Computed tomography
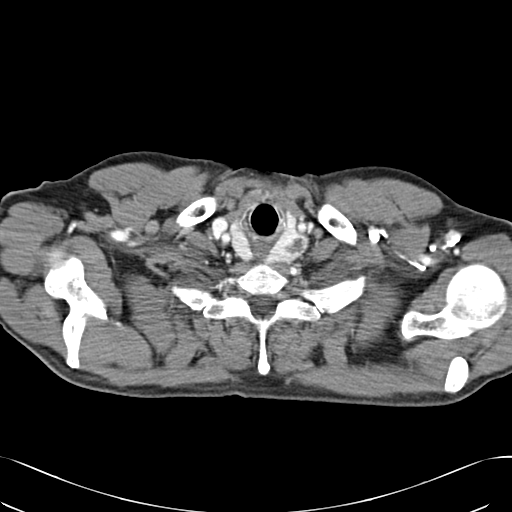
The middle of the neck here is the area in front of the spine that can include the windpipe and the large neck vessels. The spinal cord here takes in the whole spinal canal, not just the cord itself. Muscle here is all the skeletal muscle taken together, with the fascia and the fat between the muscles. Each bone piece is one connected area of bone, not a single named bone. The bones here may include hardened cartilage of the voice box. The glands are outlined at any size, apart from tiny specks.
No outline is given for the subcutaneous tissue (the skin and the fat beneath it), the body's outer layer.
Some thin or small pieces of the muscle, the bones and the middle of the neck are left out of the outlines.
The right arm is outlined by 44,180 48,180 53,192 53,195 57,199 61,208 64,227 67,237 67,246 63,258 48,275 39,293 37,294 24,313 22,314 21,318 16,325 7,332 0,325 0,198 4,194 13,190 27,187 35,187. The bones appear in 6 outlined pieces: piece 1: 265,260 303,287 324,288 361,274 366,278 361,295 334,313 323,313 317,321 282,318 273,323 266,334 270,369 261,375 257,369 258,331 251,322 239,316 206,318 201,310 193,310 182,302 171,287 208,289 with a hole at 250,295 270,295 271,296 274,296 278,300 276,302 274,306 274,308 273,310 269,314 267,314 266,315 262,315 252,310 251,308 251,306 247,299 247,298; piece 2: 472,263 482,263 492,268 501,277 508,297 507,307 502,316 489,327 479,329 464,337 444,339 429,335 417,335 410,341 404,339 400,327 403,315 409,310 425,314 434,314 440,311 445,303 448,282 460,268; piece 3: 52,246 65,253 65,258 72,254 82,262 84,279 103,300 108,317 108,320 103,320 87,316 78,352 79,369 72,368 65,362 67,350 62,326 69,306 63,299 52,297 44,287 44,277 50,267 46,252; piece 4: 325,202 328,202 335,208 336,208 340,212 341,212 352,224 357,234 357,239 356,240 356,243 355,245 351,245 348,243 346,243 338,239 336,237 335,237 319,221 317,217 317,211 319,207 323,203; piece 5: 205,195 211,195 212,196 214,196 216,198 217,200 217,207 214,212 203,220 200,221 198,223 192,226 190,226 186,228 183,228 182,227 178,226 175,222 175,220 178,214 192,202 200,198 202,196 204,196; piece 6: 455,356 461,356 467,361 467,363 468,364 468,377 467,378 466,383 459,390 455,392 453,392 452,393 449,393 448,392 445,392 444,391 444,383 445,382 445,377 447,373 447,370 448,369 449,363 451,359. The middle of the neck appears in 2 outlined pieces: piece 1: 264,196 275,200 284,208 285,227 269,250 269,258 272,261 265,259 262,262 250,259 252,253 250,251 248,240 240,226 242,216 240,213 230,222 231,246 228,249 215,239 211,223 216,218 228,216 244,205; piece 2: 297,216 301,216 304,220 306,219 309,221 311,221 313,223 313,229 309,238 309,243 308,245 299,259 290,266 288,266 285,263 271,263 273,262 287,262 294,256 294,242 297,236 297,231 295,229 297,223. The thyroid glands appear in 2 outlined pieces: piece 1: 285,208 289,209 289,210 296,216 296,223 295,224 295,228 294,229 296,231 296,236 293,242 293,256 287,261 273,261 270,258 270,250 274,246 274,245 284,231 284,229 286,227 286,213 284,211 285,210; piece 2: 240,214 241,216 239,220 239,226 242,229 242,231 247,240 247,243 248,244 249,251 251,253 251,257 249,259 243,259 241,258 235,252 232,246 232,231 231,230 231,222. The torso is outlined by 136,150 293,175 377,164 424,178 457,202 441,262 448,306 486,343 511,356 511,373 488,382 458,402 431,407 239,395 138,398 94,391 62,379 8,333 67,250 62,208 49,180 68,178 109,156. The spinal cord is outlined by 250,295 270,295 271,296 274,296 278,300 276,302 274,306 274,308 273,310 269,314 267,314 266,315 262,315 252,310 251,308 251,306 247,299 247,298. The left arm is outlined by 458,203 480,212 497,217 501,217 511,221 511,355 495,348 486,342 484,339 476,334 468,325 459,319 453,313 453,311 449,306 446,292 444,290 444,277 442,262 444,255 444,249 447,243 447,236 450,224. The muscle is outlined by 134,161 434,192 451,242 511,238 511,365 467,383 455,355 444,392 388,397 267,375 273,324 334,314 367,278 309,287 275,268 300,259 314,223 267,195 210,223 226,250 261,262 170,287 206,319 251,323 258,374 121,387 81,370 88,316 109,317 83,262 54,245 43,287 68,306 64,361 0,316 0,219 31,201 83,220 106,204 89,176; inner edges: 472,263 482,263 492,268 501,277 508,297 507,307 502,316 489,327 479,329 464,337 444,339 429,335 417,335 410,341 404,339 400,327 403,315 409,310 425,314 434,314 440,311 445,303 448,282 460,268, then 325,202 328,202 335,208 336,208 340,212 341,212 352,224 357,234 357,239 356,240 356,243 355,245 351,245 348,243 346,243 338,239 336,237 335,237 319,221 317,217 317,211 319,207 323,203, then 205,195 211,195 212,196 214,196 216,198 217,200 217,207 214,212 203,220 200,221 198,223 192,226 190,226 186,228 183,228 182,227 178,226 175,222 175,220 178,214 192,202 200,198 202,196 204,196, then 112,321 119,321 122,324 122,325 123,326 123,327 120,327 119,326 118,326 117,325 116,325 115,324 114,324 112,322.